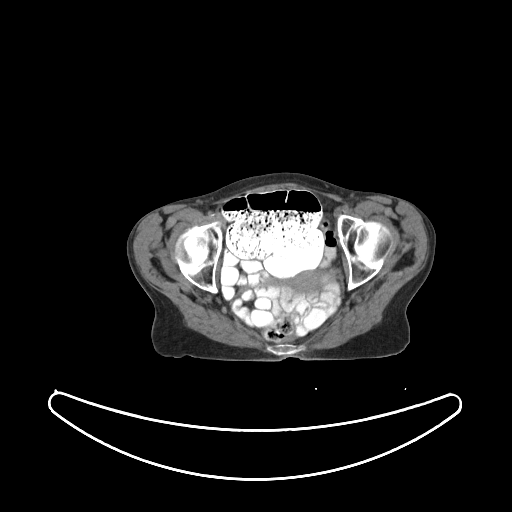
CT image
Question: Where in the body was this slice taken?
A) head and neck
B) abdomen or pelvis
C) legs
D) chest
Answer: B) abdomen or pelvis
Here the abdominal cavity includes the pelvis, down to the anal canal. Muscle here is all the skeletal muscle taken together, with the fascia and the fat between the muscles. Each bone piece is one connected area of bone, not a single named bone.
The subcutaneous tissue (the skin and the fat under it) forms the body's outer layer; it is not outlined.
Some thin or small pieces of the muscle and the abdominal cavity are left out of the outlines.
{"muscle":[[[282,182],[298,183],[347,200],[374,195],[397,198],[420,214],[426,229],[428,257],[424,268],[397,291],[378,324],[336,347],[301,353],[305,347],[302,344],[337,315],[348,291],[380,271],[392,232],[378,220],[343,212],[335,217],[337,201],[327,196],[301,187],[285,186],[232,195]],[[228,196],[220,204],[218,219],[187,227],[176,237],[174,259],[190,283],[212,294],[219,292],[237,317],[272,343],[266,346],[269,352],[218,342],[187,327],[178,308],[148,284],[135,261],[133,241],[138,226],[148,215],[161,212],[169,205],[191,205]]],"bones":[[[342,213],[354,217],[359,217],[364,220],[378,221],[384,224],[391,232],[391,239],[387,243],[388,251],[379,271],[369,280],[351,290],[347,290],[347,282],[349,277],[348,262],[345,253],[343,251],[343,249],[339,242],[339,237],[336,229],[336,219]],[[216,220],[219,221],[221,224],[223,237],[221,242],[222,243],[221,244],[222,247],[221,252],[218,258],[215,270],[215,282],[218,290],[217,293],[212,293],[199,288],[190,282],[183,275],[175,259],[174,243],[177,237],[187,228],[195,225],[207,224]],[[273,343],[275,344],[288,344],[289,345],[294,345],[295,346],[298,346],[299,345],[303,345],[304,347],[303,349],[302,349],[299,352],[297,353],[295,353],[292,355],[288,355],[287,356],[285,355],[275,355],[267,350],[267,346],[268,345],[272,345]]],"abdominal_cavity":[[[285,187],[305,189],[337,202],[333,215],[342,249],[341,260],[347,291],[336,315],[306,342],[298,345],[268,341],[263,334],[237,316],[218,292],[221,288],[223,259],[220,256],[224,237],[222,224],[218,220],[221,204],[232,196],[246,192]]],"torso":[[[280,171],[305,173],[349,189],[387,193],[414,203],[426,214],[435,230],[435,254],[426,280],[406,310],[409,343],[396,355],[352,360],[288,357],[277,362],[220,361],[159,355],[150,336],[154,307],[126,255],[126,240],[133,225],[168,202],[252,175]]]}